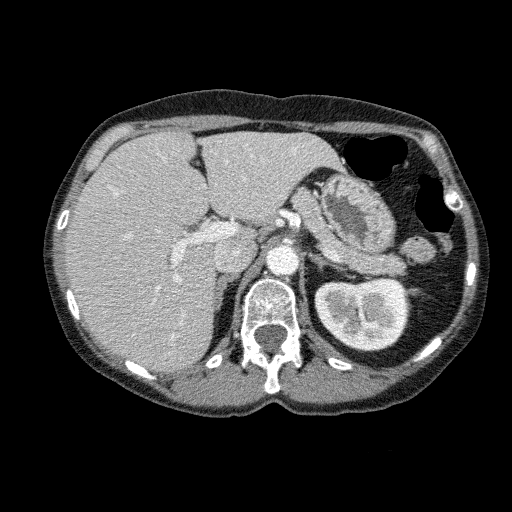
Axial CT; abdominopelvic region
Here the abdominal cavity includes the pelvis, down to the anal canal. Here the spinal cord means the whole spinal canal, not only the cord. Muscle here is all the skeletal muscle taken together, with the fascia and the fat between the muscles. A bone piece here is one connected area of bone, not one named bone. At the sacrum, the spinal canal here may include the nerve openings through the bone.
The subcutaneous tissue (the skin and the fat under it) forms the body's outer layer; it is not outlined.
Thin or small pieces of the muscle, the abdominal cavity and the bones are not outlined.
{"torso":[[[215,88],[360,99],[419,116],[443,134],[485,226],[489,282],[475,335],[413,398],[382,410],[331,416],[294,414],[270,403],[245,416],[204,417],[128,391],[91,368],[67,341],[48,291],[42,247],[52,200],[76,153],[90,132],[114,113],[172,94]]],"spinal_cord":[[[265,325],[278,325],[279,326],[281,326],[283,327],[286,330],[286,337],[279,345],[278,350],[275,352],[272,352],[271,351],[264,351],[262,350],[262,346],[256,340],[255,338],[255,336],[254,334],[256,330],[259,327],[261,326],[264,326]]],"muscle":[[[191,114],[229,114],[309,122],[371,121],[421,127],[435,134],[469,204],[478,241],[479,275],[475,297],[456,337],[431,362],[371,397],[318,404],[295,401],[278,392],[281,388],[278,380],[281,366],[292,362],[299,368],[303,362],[302,330],[296,312],[299,301],[309,314],[314,329],[351,361],[327,356],[327,363],[337,370],[352,370],[354,363],[377,370],[394,367],[420,350],[412,359],[418,362],[441,345],[443,336],[440,333],[452,321],[459,308],[465,281],[468,287],[473,285],[477,267],[473,260],[467,262],[466,234],[459,213],[464,207],[463,200],[450,185],[444,190],[442,177],[422,148],[426,148],[432,156],[438,152],[434,135],[426,129],[420,131],[420,145],[411,137],[393,131],[350,133],[255,122],[202,130],[164,129],[138,133],[111,152],[109,149],[116,142],[138,129],[128,123],[110,129],[96,143],[84,164],[91,175],[81,186],[73,207],[64,208],[55,224],[58,232],[64,230],[63,264],[69,284],[65,298],[69,313],[53,271],[51,237],[55,218],[83,157],[93,142],[117,123]],[[240,309],[242,312],[240,327],[232,332],[232,336],[240,342],[240,364],[244,368],[251,362],[265,371],[263,390],[267,394],[250,404],[215,408],[173,401],[150,386],[110,367],[87,346],[70,315],[76,321],[81,318],[87,329],[106,348],[124,359],[123,363],[129,371],[139,377],[156,380],[157,376],[169,377],[180,374],[202,362],[208,369],[220,366],[223,353],[212,355],[212,352],[228,333],[233,325],[234,315]]],"bones":[{"outer":[[265,276],[285,282],[292,288],[296,298],[295,312],[301,330],[301,365],[296,367],[292,361],[283,363],[277,372],[280,388],[271,394],[264,390],[267,374],[262,367],[251,361],[242,366],[241,342],[233,336],[234,331],[241,327],[246,292],[256,280]],"hole":[[265,325],[278,325],[279,326],[281,326],[283,327],[286,330],[286,337],[279,345],[278,350],[275,352],[272,352],[271,351],[264,351],[262,350],[262,346],[256,340],[255,338],[255,336],[254,334],[256,330],[259,327],[261,326],[264,326]]},[[123,124],[128,124],[129,125],[135,126],[137,130],[133,133],[128,133],[126,134],[111,145],[105,152],[104,155],[95,167],[94,167],[91,171],[88,171],[85,168],[85,164],[92,151],[96,146],[97,143],[106,134],[106,133],[110,130]],[[449,186],[450,186],[455,191],[457,192],[460,198],[462,200],[462,202],[463,203],[463,207],[461,209],[461,210],[459,212],[457,212],[456,213],[447,204],[447,203],[444,199],[444,197],[445,196],[445,193],[448,190],[448,187]],[[438,334],[441,334],[441,335],[442,336],[442,340],[441,341],[441,343],[440,344],[440,345],[429,355],[428,355],[423,359],[422,359],[421,360],[419,360],[418,361],[413,361],[413,359],[419,354],[419,353],[422,350],[422,349],[436,335],[437,335]],[[125,359],[128,359],[134,362],[136,364],[138,364],[140,366],[145,368],[150,373],[155,375],[156,376],[156,379],[148,379],[147,378],[145,378],[144,377],[139,376],[137,374],[135,374],[133,373],[130,370],[129,370],[125,365],[124,363],[124,361]],[[422,130],[426,130],[433,135],[433,137],[435,140],[435,143],[437,145],[437,152],[434,155],[432,155],[429,152],[428,149],[426,147],[424,147],[421,145],[421,139],[422,138],[422,136],[423,135],[421,132],[421,131]],[[67,288],[70,288],[70,289],[73,294],[74,299],[76,302],[77,307],[79,310],[79,314],[80,315],[80,319],[79,320],[76,320],[72,316],[72,315],[70,313],[70,311],[68,308],[68,304],[67,303],[67,299],[66,298],[66,290],[67,289]],[[66,208],[69,208],[70,209],[71,209],[71,211],[69,214],[69,217],[67,220],[67,223],[66,224],[65,227],[63,229],[58,231],[56,228],[56,224],[57,223],[57,221],[58,220],[58,218],[59,217],[61,212],[64,209],[65,209]],[[218,353],[222,353],[222,361],[221,362],[221,363],[220,364],[220,365],[219,365],[216,367],[213,367],[212,368],[208,368],[207,367],[206,367],[205,366],[205,362],[206,361],[206,360],[208,358],[209,358],[211,356],[212,356],[215,354],[217,354]]],"abdominal_cavity":[[[255,123],[398,133],[414,140],[436,168],[443,199],[464,229],[464,283],[451,321],[405,361],[379,369],[352,361],[315,329],[293,288],[268,275],[249,286],[211,355],[173,375],[156,375],[114,353],[84,323],[66,274],[64,229],[106,152],[148,132]]]}